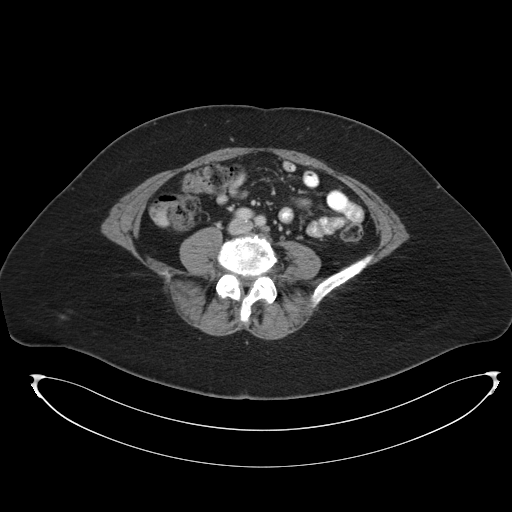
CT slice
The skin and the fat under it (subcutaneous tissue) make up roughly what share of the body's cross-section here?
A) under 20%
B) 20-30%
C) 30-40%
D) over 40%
D) over 40%
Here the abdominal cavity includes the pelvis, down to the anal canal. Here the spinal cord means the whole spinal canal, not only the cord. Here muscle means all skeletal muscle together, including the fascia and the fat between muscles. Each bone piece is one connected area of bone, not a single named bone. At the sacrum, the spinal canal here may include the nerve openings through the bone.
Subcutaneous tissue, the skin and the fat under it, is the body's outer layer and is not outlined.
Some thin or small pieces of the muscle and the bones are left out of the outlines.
The abdominal cavity is outlined by [[255,152],[321,171],[351,189],[375,228],[369,252],[317,276],[322,260],[303,243],[280,241],[286,259],[281,267],[264,236],[245,234],[223,242],[221,230],[210,225],[180,243],[178,258],[185,269],[143,253],[138,239],[146,206],[168,180],[193,168]]. The spinal cord is outlined by [[239,276],[242,276],[243,277],[246,277],[247,276],[251,276],[255,278],[251,286],[249,288],[249,291],[248,293],[246,294],[243,293],[242,291],[242,287],[241,286],[241,283],[239,279]]. The muscle is outlined by [[225,147],[292,149],[322,160],[374,191],[399,216],[410,236],[363,271],[374,257],[368,253],[376,241],[376,228],[363,201],[341,180],[266,151],[184,170],[168,179],[145,206],[137,239],[137,247],[143,254],[185,270],[179,258],[181,243],[202,228],[218,228],[222,243],[216,260],[225,271],[214,289],[222,299],[240,302],[239,320],[245,324],[255,302],[264,300],[271,304],[278,295],[269,273],[276,264],[281,268],[286,265],[282,240],[298,242],[315,252],[321,260],[317,277],[333,273],[312,290],[309,301],[313,308],[344,284],[319,305],[303,327],[283,338],[265,340],[246,330],[225,336],[206,334],[177,313],[163,279],[102,234],[100,225],[118,199],[147,178]], around a hole outlined by [[164,270],[166,270],[168,272],[168,273],[169,274],[169,280],[167,280],[166,279],[166,277],[163,274],[162,274],[161,273],[161,272],[162,271],[163,271]]. The bones appear in 2 outlined pieces: piece 1: [[252,234],[264,237],[270,243],[278,259],[268,273],[275,284],[277,295],[271,303],[267,303],[264,299],[255,301],[251,305],[251,313],[245,323],[240,320],[241,302],[230,297],[222,298],[216,292],[216,283],[226,271],[218,262],[217,255],[225,241]] with a hole at [[239,276],[242,276],[243,277],[246,277],[247,276],[251,276],[255,278],[251,286],[249,288],[249,291],[248,293],[246,294],[243,293],[242,291],[242,287],[241,286],[241,283],[239,279]]; piece 2: [[368,254],[372,254],[373,255],[373,257],[371,261],[361,272],[353,276],[344,283],[342,283],[335,287],[331,291],[330,291],[317,305],[313,307],[311,305],[310,297],[313,292],[313,290],[320,282],[321,282],[326,277],[341,270],[352,263],[361,259]]. The torso is outlined by [[222,103],[325,110],[366,123],[399,142],[477,219],[500,248],[511,269],[508,329],[496,339],[454,348],[378,381],[327,394],[279,400],[193,393],[140,378],[69,348],[26,346],[14,341],[0,293],[0,267],[38,213],[99,151],[127,130],[176,110]].